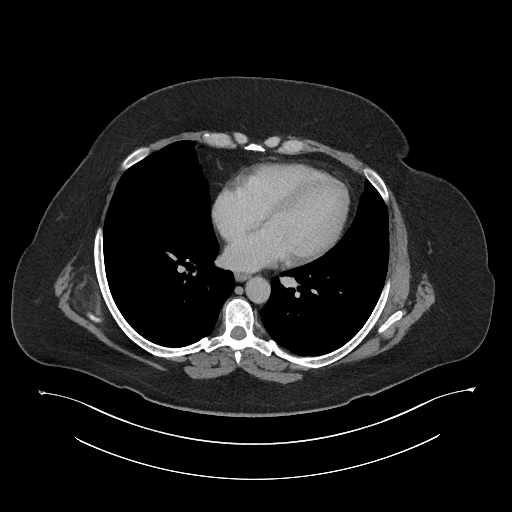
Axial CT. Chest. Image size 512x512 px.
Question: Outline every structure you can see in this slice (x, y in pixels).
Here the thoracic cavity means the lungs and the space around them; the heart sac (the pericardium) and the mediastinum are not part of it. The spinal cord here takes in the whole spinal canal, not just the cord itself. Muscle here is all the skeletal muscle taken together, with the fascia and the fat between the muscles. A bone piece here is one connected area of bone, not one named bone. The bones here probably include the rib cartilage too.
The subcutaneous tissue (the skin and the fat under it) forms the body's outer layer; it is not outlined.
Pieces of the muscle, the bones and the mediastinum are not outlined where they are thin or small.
Answer: The torso is outlined by [[230,75],[315,82],[371,100],[406,136],[410,154],[405,161],[449,181],[467,198],[481,222],[495,280],[489,328],[473,353],[344,405],[265,417],[165,406],[89,374],[39,363],[24,353],[10,319],[17,263],[48,204],[98,134],[149,92],[186,80]]. The spinal cord is outlined by [[237,326],[239,326],[240,327],[241,327],[244,330],[244,331],[245,332],[245,336],[244,337],[243,337],[242,338],[241,338],[240,339],[236,339],[235,338],[234,338],[233,337],[232,337],[231,336],[231,332],[232,331],[232,330],[235,327],[236,327]]. The mediastinum appears in 2 outlined pieces: piece 1: [[197,144],[227,149],[241,146],[246,151],[262,153],[272,149],[288,155],[304,152],[326,154],[365,178],[354,217],[350,222],[356,206],[356,194],[343,174],[326,163],[303,157],[268,157],[242,164],[226,176],[212,206],[211,216],[210,187],[195,151]]; piece 2: [[219,243],[221,255],[227,266],[235,272],[251,274],[256,272],[283,271],[278,275],[272,276],[270,279],[270,294],[259,312],[260,320],[256,316],[251,304],[246,299],[234,297],[226,302],[234,290],[235,279],[231,270],[220,265],[221,262],[218,258]]. The thoracic cavity appears in 2 outlined pieces: piece 1: [[182,140],[197,143],[194,151],[209,187],[211,223],[218,243],[217,258],[222,268],[232,272],[234,287],[221,313],[214,321],[215,328],[211,334],[189,344],[172,347],[155,343],[141,335],[117,306],[106,275],[103,226],[112,195],[123,172],[152,152]]; piece 2: [[366,179],[386,205],[388,214],[389,253],[387,270],[376,303],[362,326],[341,346],[327,353],[313,356],[291,353],[268,336],[260,321],[260,312],[271,294],[271,279],[284,271],[298,268],[317,260],[336,245],[350,227],[355,217]]. The pericardium is outlined by [[268,158],[303,158],[315,160],[339,171],[351,185],[355,194],[355,206],[353,213],[349,225],[335,245],[323,255],[309,263],[280,271],[256,271],[251,273],[235,271],[228,266],[226,260],[222,255],[220,243],[212,223],[213,206],[227,176],[248,162]]. The muscle appears in 4 outlined pieces: piece 1: [[123,159],[103,225],[94,231],[93,265],[101,296],[116,324],[154,356],[169,359],[227,346],[239,366],[242,350],[253,348],[265,356],[274,354],[317,369],[351,352],[377,322],[391,289],[386,278],[390,253],[386,184],[408,233],[411,273],[427,274],[435,301],[391,348],[288,383],[263,380],[239,367],[225,375],[197,379],[130,357],[67,317],[54,293],[54,283],[68,261],[78,251],[75,264],[84,261],[103,189]], around holes outlined by [[397,310],[402,310],[403,311],[403,314],[402,315],[401,318],[400,319],[395,321],[393,323],[392,323],[385,330],[384,330],[382,332],[381,332],[380,333],[379,332],[378,332],[378,328],[381,325],[381,324],[392,313],[393,313],[395,311],[396,311]] and by [[88,312],[91,312],[93,314],[94,314],[96,316],[97,316],[98,317],[99,317],[101,319],[101,321],[100,321],[99,322],[95,322],[94,321],[93,321],[92,320],[91,320],[87,316],[87,313]]; piece 2: [[288,134],[306,137],[319,141],[331,147],[351,152],[358,158],[368,163],[373,167],[366,164],[361,169],[362,174],[352,168],[351,165],[348,165],[326,153],[320,151],[305,151],[307,151],[310,147],[302,140],[297,138],[282,138],[278,135],[287,135]]; piece 3: [[202,129],[207,129],[212,131],[225,131],[226,130],[234,131],[230,133],[226,131],[205,131],[201,135],[201,140],[203,143],[198,143],[194,140],[189,139],[182,139],[171,142],[151,152],[151,149],[148,145],[142,145],[182,132],[196,131]]; piece 4: [[240,131],[242,131],[243,132],[247,132],[248,133],[250,133],[251,134],[253,134],[256,136],[268,136],[265,137],[261,141],[258,142],[257,141],[255,141],[254,140],[252,140],[249,137],[249,136],[246,133]]. The bones appear in 6 outlined pieces: piece 1: [[98,226],[102,226],[105,275],[116,306],[141,336],[165,347],[186,346],[211,335],[222,317],[225,303],[241,298],[250,304],[267,336],[281,348],[297,356],[320,356],[341,347],[357,333],[376,305],[387,278],[390,289],[379,317],[365,337],[351,351],[321,367],[303,366],[274,353],[265,355],[253,347],[241,350],[238,365],[234,351],[227,345],[210,352],[201,349],[184,355],[161,357],[132,341],[104,301],[93,256]], around a hole outlined by [[237,326],[239,326],[240,327],[241,327],[244,330],[244,331],[245,332],[245,336],[244,337],[243,337],[242,338],[241,338],[240,339],[236,339],[235,338],[234,338],[233,337],[232,337],[231,336],[231,332],[232,331],[232,330],[235,327],[236,327]]; piece 2: [[235,131],[246,134],[252,141],[258,143],[269,136],[277,135],[282,139],[300,140],[309,148],[299,153],[288,154],[280,153],[274,148],[268,148],[262,152],[246,150],[241,145],[238,145],[234,148],[213,146],[203,142],[203,133],[226,132],[230,134]]; piece 3: [[366,165],[373,168],[380,175],[380,176],[383,179],[385,183],[386,188],[388,191],[388,198],[389,200],[387,204],[385,203],[385,202],[383,200],[383,199],[381,197],[381,196],[379,194],[377,190],[364,176],[362,172],[362,169]]; piece 4: [[140,146],[148,146],[150,149],[150,152],[149,154],[148,154],[145,157],[144,157],[142,159],[141,159],[139,161],[138,161],[136,163],[135,163],[124,171],[122,171],[121,170],[121,165],[124,159],[132,151],[133,151],[135,149],[136,149]]; piece 5: [[397,310],[402,310],[403,311],[403,314],[402,315],[401,318],[400,319],[395,321],[393,323],[392,323],[385,330],[384,330],[382,332],[381,332],[380,333],[379,332],[378,332],[378,328],[381,325],[381,324],[392,313],[393,313],[395,311],[396,311]]; piece 6: [[88,312],[91,312],[93,314],[94,314],[96,316],[97,316],[98,317],[99,317],[101,319],[101,321],[100,321],[99,322],[95,322],[94,321],[93,321],[92,320],[91,320],[87,316],[87,313]].